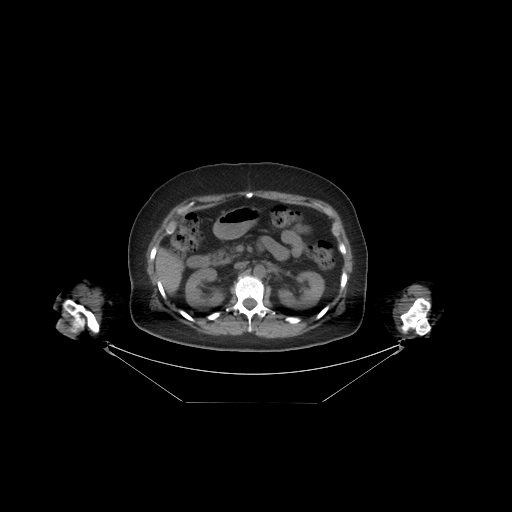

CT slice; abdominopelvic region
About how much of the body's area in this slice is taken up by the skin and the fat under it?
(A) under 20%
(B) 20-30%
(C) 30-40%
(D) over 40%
(C) 30-40%
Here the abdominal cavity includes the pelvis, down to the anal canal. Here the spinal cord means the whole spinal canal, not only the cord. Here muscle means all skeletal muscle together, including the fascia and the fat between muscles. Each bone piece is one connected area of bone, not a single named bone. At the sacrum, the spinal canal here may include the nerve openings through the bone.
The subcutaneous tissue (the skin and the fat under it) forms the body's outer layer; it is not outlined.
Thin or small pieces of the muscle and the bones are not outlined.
{"right_arm":[[[76,277],[85,277],[93,281],[112,287],[120,294],[123,301],[122,315],[110,324],[103,335],[96,339],[75,340],[61,334],[56,329],[55,326],[55,322],[60,316],[60,314],[57,312],[54,315],[52,315],[52,304],[56,296],[64,287],[66,282]]],"abdominal_cavity":[[[242,196],[310,207],[332,220],[331,231],[343,261],[339,287],[316,314],[300,317],[276,311],[270,299],[271,287],[252,274],[239,274],[223,309],[205,316],[191,315],[167,296],[158,279],[155,258],[162,240],[174,231],[178,217],[189,210],[213,207]]],"bones":[{"outer":[[239,275],[252,275],[261,280],[264,286],[262,302],[266,307],[274,311],[273,314],[268,311],[263,317],[254,314],[251,318],[252,330],[250,332],[248,331],[247,317],[243,313],[237,312],[234,315],[231,310],[226,310],[226,308],[237,301],[234,284]],"hole":[[247,298],[251,298],[252,299],[253,299],[256,302],[256,304],[252,308],[251,308],[250,309],[249,309],[248,308],[247,308],[243,304],[243,302],[244,301],[244,300],[245,299],[246,299]]},[[419,297],[422,297],[431,303],[431,308],[427,313],[427,318],[429,321],[431,328],[427,333],[423,335],[417,334],[413,328],[410,328],[406,333],[403,333],[401,328],[402,326],[402,321],[400,318],[400,316],[403,313],[407,311],[412,305],[413,302]],[[69,299],[71,299],[75,302],[83,305],[87,309],[93,313],[96,320],[100,326],[99,328],[99,331],[97,333],[93,333],[93,332],[90,329],[89,329],[86,325],[85,325],[78,333],[75,333],[71,331],[73,317],[64,309],[64,303]],[[342,271],[344,271],[347,274],[347,281],[346,282],[346,284],[345,285],[345,286],[342,289],[340,289],[340,277],[341,276],[341,273],[342,272]],[[286,316],[296,316],[297,317],[299,317],[301,319],[300,320],[300,321],[299,322],[298,322],[297,323],[290,323],[289,322],[288,322],[287,321],[286,321],[285,320],[285,317]],[[173,221],[174,221],[175,222],[175,227],[174,228],[174,229],[173,230],[173,231],[171,233],[170,233],[169,234],[167,234],[166,233],[166,232],[165,231],[165,228],[166,227],[166,226],[167,226],[168,225],[168,224],[169,224],[171,222],[172,222]],[[179,309],[182,309],[184,311],[185,311],[188,314],[189,314],[191,316],[192,316],[194,318],[194,320],[195,321],[191,321],[190,320],[189,320],[188,319],[187,319],[186,318],[185,318],[182,315],[181,315],[179,313]],[[158,280],[160,280],[160,281],[161,282],[161,284],[163,287],[163,289],[164,290],[164,291],[165,292],[165,294],[166,295],[166,298],[163,298],[163,297],[161,295],[161,294],[159,291],[159,289],[157,286],[157,281]],[[326,305],[328,305],[329,306],[329,307],[328,308],[328,310],[320,318],[319,318],[318,319],[316,319],[316,315]],[[334,222],[337,222],[337,223],[338,224],[338,229],[339,230],[339,234],[337,236],[336,236],[335,235],[334,235],[334,234],[333,233],[333,232],[332,231],[332,225],[333,224],[333,223]],[[217,311],[219,311],[220,312],[220,314],[219,315],[219,316],[218,317],[217,317],[215,319],[208,319],[206,317],[206,316],[207,315],[208,315],[209,314],[210,314],[211,313],[212,313],[213,312],[216,312]],[[154,246],[155,246],[157,248],[157,250],[156,251],[156,253],[155,254],[155,257],[154,258],[154,259],[153,260],[150,260],[150,252],[151,251],[151,250],[152,249],[152,248]],[[341,242],[342,243],[343,243],[344,244],[344,245],[345,246],[345,250],[346,251],[345,252],[345,254],[344,254],[343,255],[340,252],[340,251],[339,250],[339,249],[338,248],[338,244],[339,243],[340,243]],[[190,202],[193,202],[193,204],[192,205],[191,205],[190,206],[189,206],[188,207],[186,207],[185,208],[184,208],[180,212],[179,212],[178,211],[178,210],[179,209],[180,209],[181,208],[182,208],[183,207],[184,207],[185,206],[186,206]]],"left_arm":[[[422,279],[426,279],[431,281],[439,289],[444,301],[443,313],[430,337],[428,338],[412,338],[408,339],[406,341],[401,340],[399,342],[390,334],[386,326],[381,321],[376,319],[373,316],[372,310],[374,303],[378,298],[384,294],[399,290],[412,282]]],"torso":[[[223,162],[278,162],[298,166],[332,181],[349,197],[355,208],[368,252],[365,311],[359,328],[352,335],[323,345],[281,352],[217,351],[163,340],[139,329],[133,323],[129,312],[130,280],[127,248],[130,229],[138,211],[158,186],[176,174],[202,165]]],"muscle":[{"outer":[[248,189],[250,189],[251,190],[271,190],[272,191],[278,191],[279,192],[284,192],[285,193],[291,193],[292,194],[297,194],[298,195],[307,196],[312,198],[316,198],[328,203],[338,213],[342,221],[343,227],[346,233],[346,236],[349,241],[349,243],[351,247],[351,250],[352,251],[352,260],[353,261],[352,272],[350,275],[348,290],[345,298],[345,308],[344,310],[340,314],[332,316],[321,325],[309,331],[307,331],[302,334],[300,334],[296,336],[286,337],[285,338],[265,338],[264,337],[259,337],[253,334],[247,334],[246,333],[242,335],[211,335],[210,334],[205,334],[204,333],[199,332],[195,329],[183,323],[179,322],[165,311],[163,311],[162,310],[150,310],[149,309],[149,304],[150,303],[150,292],[151,291],[152,285],[150,282],[148,274],[146,271],[146,258],[145,257],[145,253],[146,252],[147,247],[154,233],[159,227],[163,219],[170,210],[174,206],[183,200],[192,196],[197,196],[198,195],[208,195],[209,194],[219,194],[220,193],[229,193],[230,192],[235,192],[236,191],[243,191]],"holes":[[[248,192],[252,192],[255,197],[313,208],[326,214],[333,223],[337,222],[339,234],[335,237],[338,243],[345,246],[341,270],[347,274],[347,281],[342,289],[337,289],[327,304],[328,310],[320,318],[316,319],[314,314],[301,317],[297,323],[290,323],[285,320],[284,313],[275,310],[272,314],[268,311],[263,317],[257,314],[252,316],[252,330],[249,332],[248,320],[243,313],[234,315],[231,310],[226,310],[237,301],[233,284],[229,300],[215,319],[194,316],[195,321],[191,321],[179,313],[180,308],[167,296],[163,298],[161,295],[157,286],[155,260],[150,260],[150,252],[154,246],[158,249],[160,247],[167,235],[166,226],[186,211],[213,207],[228,199],[245,196]],[[190,202],[193,202],[193,204],[192,205],[191,205],[190,206],[189,206],[188,207],[186,207],[185,208],[184,208],[180,212],[179,212],[178,211],[178,210],[179,209],[180,209],[181,208],[182,208],[183,207],[184,207],[185,206],[186,206]]]},[[80,283],[85,283],[92,287],[99,288],[103,292],[104,308],[101,310],[101,323],[100,325],[91,310],[83,304],[69,298],[63,303],[63,309],[72,317],[70,331],[74,333],[68,333],[62,328],[63,315],[60,311],[60,301],[68,295],[76,285]],[[417,284],[426,287],[430,291],[430,296],[432,302],[432,307],[432,303],[431,302],[429,300],[422,296],[417,297],[412,302],[407,310],[399,316],[401,321],[401,326],[400,327],[402,332],[401,333],[396,327],[393,315],[393,309],[395,306],[395,302],[403,294],[405,294],[410,287]],[[265,286],[269,286],[270,287],[270,295],[269,296],[269,299],[270,300],[270,301],[272,303],[272,307],[274,310],[272,310],[270,308],[269,308],[267,306],[266,306],[264,304],[264,303],[263,302],[263,299],[264,298],[264,294],[265,293]],[[85,326],[86,326],[86,327],[89,330],[90,330],[92,332],[92,333],[91,334],[84,334],[83,333],[82,333],[81,332],[80,332],[85,327]]],"spinal_cord":[[[247,298],[251,298],[252,299],[253,299],[256,302],[256,304],[252,308],[251,308],[250,309],[249,309],[248,308],[247,308],[243,304],[243,302],[244,301],[244,300],[245,299],[246,299]]]}